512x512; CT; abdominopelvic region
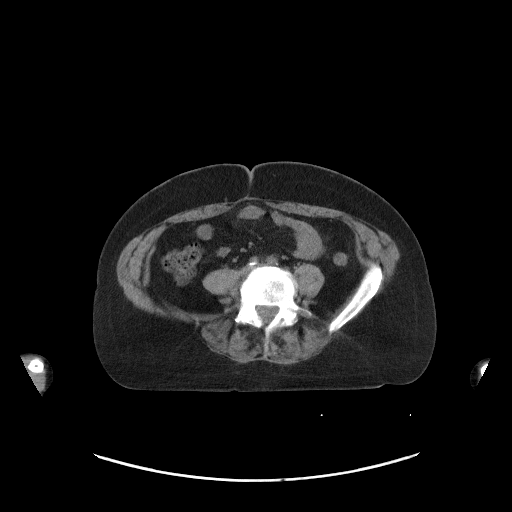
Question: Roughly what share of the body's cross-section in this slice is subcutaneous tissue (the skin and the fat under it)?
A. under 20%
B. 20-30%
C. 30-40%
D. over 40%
Answer: D. over 40%
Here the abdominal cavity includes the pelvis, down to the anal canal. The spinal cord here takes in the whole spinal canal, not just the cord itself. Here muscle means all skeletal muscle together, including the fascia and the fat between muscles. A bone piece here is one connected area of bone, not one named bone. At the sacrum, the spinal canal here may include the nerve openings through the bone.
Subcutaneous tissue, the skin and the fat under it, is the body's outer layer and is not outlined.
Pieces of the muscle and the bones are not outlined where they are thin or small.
The bones appear in 3 outlined pieces: piece 1: 258 265; 278 266; 292 273; 297 282; 297 294; 294 300; 301 307; 311 311; 310 315; 299 311; 297 321; 293 325; 275 328; 269 335; 266 351; 264 349; 265 336; 262 328; 250 324; 236 323; 234 320; 238 311; 241 283; 251 269 with a hole at 259 306; 267 306; 268 307; 276 307; 277 308; 277 311; 276 312; 276 313; 274 315; 274 316; 272 318; 272 319; 267 323; 265 323; 264 322; 264 321; 260 316; 260 315; 259 314; 259 313; 257 310; 257 307; 258 307; piece 2: 371 262; 378 263; 382 269; 382 275; 383 278; 376 293; 354 317; 349 320; 338 330; 332 333; 329 333; 328 332; 328 325; 329 323; 331 320; 341 311; 349 301; 353 295; 357 286; 359 284; 359 282; 364 272; 367 269; 369 264; piece 3: 36 357; 39 358; 43 362; 43 363; 44 364; 44 367; 43 368; 43 370; 39 373; 35 373; 34 372; 32 372; 31 371; 30 371; 30 370; 28 368; 28 367; 29 366; 29 362; 30 361; 30 360; 31 359; 33 359. The right arm is outlined by 22 352; 35 352; 41 354; 47 358; 52 367; 53 370; 53 380; 52 383; 49 388; 44 393; 44 394; 42 395; 38 389; 38 386; 36 385; 29 374; 30 370; 27 367; 29 364; 28 363; 25 364; 21 357; 21 353. The torso is outlined by 277 160; 313 163; 348 175; 385 198; 408 223; 424 254; 436 310; 436 341; 425 371; 408 384; 357 390; 147 391; 116 383; 102 367; 92 338; 96 268; 104 241; 115 222; 139 196; 183 171; 223 162; 241 163; 251 168; 261 162. The abdominal cavity is outlined by 248 200; 288 213; 338 219; 353 231; 362 274; 332 311; 321 315; 309 309; 325 282; 312 263; 293 273; 278 265; 258 264; 245 277; 226 266; 213 269; 201 283; 221 296; 216 311; 190 311; 150 293; 150 260; 170 225; 214 217. The left arm is outlined by 485 357; 488 357; 489 358; 487 361; 484 362; 482 364; 479 370; 480 377; 477 383; 474 386; 474 387; 471 387; 471 385; 469 381; 469 374; 470 373; 470 371; 476 362; 477 362; 480 359; 482 358; 484 358. The muscle appears in 3 outlined pieces: piece 1: 245 196; 337 209; 385 232; 397 246; 399 259; 390 280; 352 319; 377 293; 384 276; 381 265; 375 261; 371 261; 363 273; 355 233; 341 219; 288 212; 248 199; 214 216; 172 223; 161 233; 149 260; 149 293; 190 312; 216 312; 222 307; 219 300; 222 296; 208 291; 202 280; 213 270; 226 267; 236 271; 243 278; 233 320; 236 324; 262 329; 265 352; 275 329; 293 326; 298 321; 299 312; 309 316; 312 311; 321 316; 332 312; 356 286; 327 325; 329 334; 341 328; 340 333; 319 354; 307 360; 291 364; 231 360; 211 351; 189 324; 135 307; 118 283; 116 265; 121 251; 147 227; 182 211; 211 203; 231 202; piece 2: 307 264; 312 264; 315 266; 317 266; 324 276; 323 285; 319 290; 318 293; 312 299; 313 301; 312 303; 309 305; 308 307; 309 308; 306 308; 301 306; 298 304; 295 300; 295 297; 298 294; 298 282; 293 274; 294 271; 297 268; piece 3: 45 367; 46 369; 46 373; 45 374; 45 385; 44 386; 45 388; 42 391; 39 391; 38 389; 38 386; 36 385; 36 384; 32 379; 31 376; 29 374; 29 372; 31 372; 35 374; 39 374; 41 373; 44 370; 44 368. The spinal cord is outlined by 259 306; 267 306; 268 307; 276 307; 277 308; 277 311; 276 312; 276 313; 274 315; 274 316; 272 318; 272 319; 267 323; 265 323; 264 322; 264 321; 260 316; 260 315; 259 314; 259 313; 257 310; 257 307; 258 307.